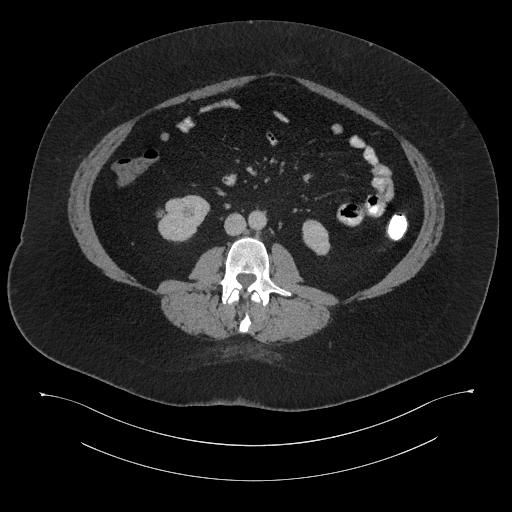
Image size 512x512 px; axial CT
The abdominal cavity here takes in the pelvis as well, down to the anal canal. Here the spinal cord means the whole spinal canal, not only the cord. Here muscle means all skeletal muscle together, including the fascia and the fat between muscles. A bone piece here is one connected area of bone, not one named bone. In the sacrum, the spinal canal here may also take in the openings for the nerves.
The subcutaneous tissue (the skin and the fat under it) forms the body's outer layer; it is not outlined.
{"muscle":[{"outer":[[270,71],[305,78],[343,94],[374,112],[414,145],[425,157],[439,182],[445,211],[442,235],[435,251],[413,277],[387,293],[341,306],[332,314],[329,323],[313,335],[282,345],[259,344],[247,334],[239,334],[217,341],[196,337],[173,325],[162,312],[160,303],[155,296],[137,287],[111,279],[87,259],[80,249],[68,221],[67,201],[69,187],[74,172],[82,159],[104,135],[117,125],[156,104],[184,92],[238,76]],"holes":[[[269,76],[293,79],[397,139],[423,201],[413,244],[379,281],[341,299],[302,283],[278,242],[270,246],[269,276],[291,295],[271,292],[266,305],[222,302],[223,245],[199,256],[190,280],[139,281],[112,259],[94,228],[90,197],[100,170],[146,115]],[[245,312],[247,312],[247,313],[249,316],[249,318],[251,321],[251,324],[250,325],[250,326],[248,329],[248,331],[246,333],[241,333],[240,332],[239,332],[239,330],[238,329],[239,328],[239,323],[240,322],[240,321],[243,318],[243,317],[245,314]]]}],"bones":[{"outer":[[242,237],[253,237],[264,244],[269,257],[269,276],[271,280],[281,288],[289,291],[291,295],[285,296],[271,292],[266,305],[263,305],[260,302],[252,301],[248,298],[231,303],[222,302],[222,288],[219,281],[225,272],[224,261],[226,254],[232,243]],"hole":[[239,274],[252,274],[253,275],[254,275],[255,276],[255,280],[254,281],[253,281],[248,286],[247,286],[245,288],[244,288],[243,287],[243,286],[237,280],[237,276]]},[[245,312],[247,312],[247,313],[249,316],[249,318],[251,321],[251,324],[250,325],[250,326],[248,329],[248,331],[246,333],[241,333],[240,332],[239,332],[239,330],[238,329],[239,328],[239,323],[240,322],[240,321],[243,318],[243,317],[245,314]]],"spinal_cord":[[[239,274],[252,274],[253,275],[254,275],[255,276],[255,280],[254,281],[253,281],[248,286],[247,286],[245,288],[244,288],[243,287],[243,286],[237,280],[237,276]]],"abdominal_cavity":[[[269,76],[293,79],[397,139],[423,201],[413,244],[379,281],[341,299],[302,283],[283,245],[274,242],[269,253],[253,236],[237,238],[226,253],[223,245],[204,251],[190,280],[156,287],[139,281],[112,259],[94,228],[90,197],[100,170],[146,115]]],"torso":[[[248,19],[319,25],[386,47],[439,79],[472,119],[494,168],[499,234],[475,331],[453,360],[375,394],[319,409],[288,412],[240,405],[173,406],[52,361],[16,327],[7,301],[8,266],[20,240],[36,151],[63,98],[98,64],[139,42],[188,27]]]}